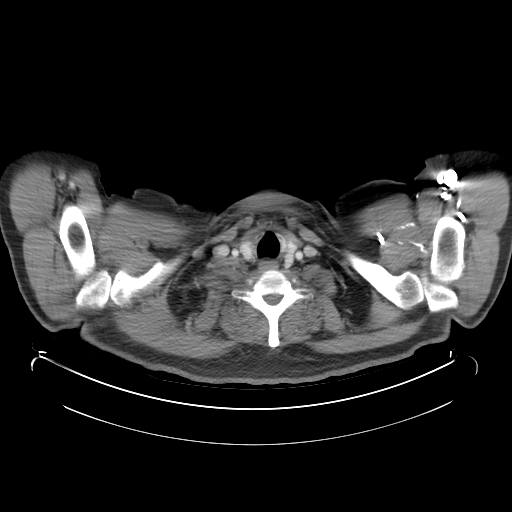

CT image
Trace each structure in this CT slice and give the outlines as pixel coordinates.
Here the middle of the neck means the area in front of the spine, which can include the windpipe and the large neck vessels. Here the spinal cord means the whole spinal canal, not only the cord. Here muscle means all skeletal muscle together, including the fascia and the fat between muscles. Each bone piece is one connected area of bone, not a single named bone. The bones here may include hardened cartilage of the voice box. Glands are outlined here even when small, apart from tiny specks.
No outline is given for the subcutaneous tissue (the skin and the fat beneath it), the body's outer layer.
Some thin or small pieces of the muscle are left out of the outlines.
right arm: 35,146 64,148 78,152 96,161 101,173 100,180 107,194 114,192 130,196 137,187 150,187 166,192 173,197 163,225 147,251 134,264 106,279 51,300 26,304 19,292 8,250 0,232 0,173 12,156
bones 1: 445,214 462,222 465,229 465,267 462,275 447,285 457,296 458,305 455,308 430,312 425,300 409,309 400,308 365,280 346,257 347,253 354,253 381,265 394,275 407,270 419,276 428,274 430,242 438,219
bones 2: 66,205 85,207 97,271 106,270 113,277 118,270 124,269 129,274 138,276 159,260 166,262 178,258 179,263 161,283 127,306 120,307 109,299 102,308 76,307 75,297 84,280 75,277 58,235 59,221
bones 3: 266,270 280,270 291,281 293,287 302,287 313,291 313,294 311,296 298,299 280,315 278,319 279,345 275,347 270,347 268,345 269,324 266,317 259,310 244,300 235,298 231,293 236,289 251,288 260,275; inner edge: 268,294 280,294 282,296 282,297 280,299 280,300 277,303 276,303 275,304 269,304 264,299 264,298 263,297 265,295 267,295
spinal cord: 268,294 280,294 282,296 282,297 280,299 280,300 277,303 276,303 275,304 269,304 264,299 264,298 263,297 265,295 267,295
middle of the neck: 262,227 286,229 297,239 314,249 318,250 319,252 321,252 321,254 311,260 293,266 289,269 282,268 265,270 253,267 246,263 233,259 215,256 212,254 212,248 214,246 219,244 227,244 233,242, around a hole outlined by 249,240 251,240 251,254 254,257 254,262 248,262 243,257 243,256 240,253 240,247 242,245 243,245 244,244 245,244
muscle: 30,160 86,168 106,204 121,200 168,214 201,238 244,206 275,200 357,251 355,221 363,208 489,172 507,179 509,206 491,289 474,315 443,311 405,340 348,353 276,347 281,315 314,294 281,270 321,251 268,226 216,244 213,256 263,270 251,287 230,293 265,317 269,347 244,344 197,359 129,340 107,316 54,320 44,313 8,206 12,174, around holes outlined by 445,214 462,222 465,229 465,267 462,275 447,285 457,296 458,305 455,308 430,312 425,300 409,309 400,308 365,280 346,257 347,253 354,253 381,265 394,275 407,270 419,276 428,274 430,242 438,219 and by 66,205 85,207 97,271 106,270 113,277 118,270 124,269 129,274 138,276 159,260 166,262 178,258 179,263 161,283 127,306 120,307 109,299 102,308 76,307 75,297 84,280 75,277 58,235 59,221
thyroid glands 1: 249,240 251,240 251,254 254,257 254,262 248,262 243,257 243,256 240,253 240,247 242,245 243,245 244,244 245,244
thyroid glands 2: 289,242 291,242 294,245 296,245 297,246 297,248 295,250 295,251 293,254 293,263 291,265 290,265 288,267 285,267 284,266 284,260 285,259 285,256 287,254 287,252 288,251 288,244 289,243
head and neck: 264,186 279,187 301,199 310,199 322,209 334,236 339,261 339,314 335,332 328,348 315,365 293,377 274,381 253,382 234,374 221,361 214,352 196,317 192,297 192,259 204,231 218,212 224,210 250,192
left arm: 464,148 485,148 494,150 503,154 511,162 511,260 499,294 497,298 491,300 472,300 450,294 428,284 401,267 388,254 378,238 373,228 368,209 367,186 369,180 387,178 410,183 424,166 424,158 434,153
torso: 367,181 372,228 401,268 462,299 496,299 477,326 453,321 403,361 316,383 205,385 77,329 49,331 26,305 134,265 173,198 214,206 191,259 195,317 234,375 299,376 340,314 336,240 311,198 332,212